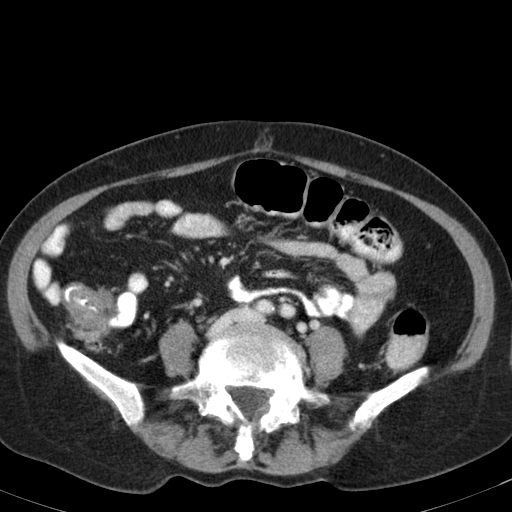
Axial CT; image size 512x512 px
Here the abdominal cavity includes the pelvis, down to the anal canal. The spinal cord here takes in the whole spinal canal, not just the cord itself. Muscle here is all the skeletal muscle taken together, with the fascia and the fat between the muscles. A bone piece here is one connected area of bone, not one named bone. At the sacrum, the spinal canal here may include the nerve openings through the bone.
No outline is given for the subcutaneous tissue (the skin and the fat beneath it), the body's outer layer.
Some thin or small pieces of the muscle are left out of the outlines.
bones 1: 259 324; 283 331; 301 346; 305 384; 326 392; 330 401; 319 406; 301 399; 299 421; 282 423; 269 433; 255 431; 252 457; 241 461; 234 449; 235 424; 202 416; 192 400; 170 394; 174 385; 196 374; 203 348; 222 330, around a hole outlined by 228 387; 253 387; 254 388; 260 389; 261 390; 268 389; 269 390; 271 390; 272 391; 272 393; 268 397; 266 402; 260 406; 257 409; 254 415; 250 418; 245 416; 243 414; 242 411; 234 401; 231 394; 228 391; 228 389; 227 388
bones 2: 56 337; 63 339; 66 343; 73 346; 114 374; 130 381; 133 381; 137 384; 144 402; 145 410; 144 417; 137 425; 136 432; 133 432; 128 427; 123 420; 116 405; 106 394; 91 382; 88 381; 64 359; 54 342; 54 339
bones 3: 423 365; 428 365; 430 367; 429 374; 426 377; 424 377; 421 382; 414 389; 385 407; 372 420; 371 425; 365 431; 358 426; 354 430; 351 430; 349 428; 348 421; 352 417; 355 409; 366 398; 367 395; 370 392; 387 385; 403 374
abdominal cavity: 259 152; 391 192; 449 234; 473 285; 451 359; 371 391; 328 393; 348 353; 331 325; 304 339; 307 357; 275 326; 229 325; 197 361; 199 337; 179 319; 158 349; 181 380; 158 385; 118 375; 48 330; 28 276; 58 222; 108 189
torso: 226 119; 305 121; 366 136; 429 168; 479 215; 511 276; 511 438; 502 446; 443 474; 381 489; 345 491; 324 481; 282 488; 249 479; 208 487; 175 476; 153 493; 135 494; 92 484; 0 443; 0 237; 6 227; 44 186; 98 154
muscle 1: 136 382; 175 384; 171 398; 235 425; 233 449; 241 462; 253 457; 255 432; 300 421; 301 400; 320 407; 330 403; 329 394; 368 391; 347 421; 351 431; 365 432; 339 461; 305 473; 199 471; 156 454; 134 433; 146 410
muscle 2: 264 147; 331 162; 375 178; 438 206; 466 228; 475 238; 487 259; 493 277; 495 295; 494 319; 487 347; 473 368; 424 385; 407 397; 387 407; 414 390; 430 374; 432 366; 441 366; 451 360; 466 336; 474 309; 474 285; 468 264; 450 234; 405 198; 391 191; 341 177; 291 157; 267 151; 233 157; 183 175; 149 178; 137 183; 108 188; 58 221; 35 253; 27 276; 27 296; 33 311; 49 332; 63 338; 56 336; 53 339; 63 359; 88 382; 105 394; 115 405; 119 414; 106 401; 92 392; 77 375; 48 349; 32 353; 24 348; 16 335; 9 314; 6 282; 8 268; 19 242; 41 216; 69 197; 103 184; 246 149
muscle 3: 322 326; 331 326; 337 329; 340 332; 347 349; 347 353; 343 360; 343 370; 325 388; 325 391; 315 390; 312 388; 310 388; 306 384; 303 374; 303 366; 306 357; 307 358; 308 357; 307 347; 304 344; 304 341; 311 333; 319 330
muscle 4: 179 320; 187 321; 192 326; 198 337; 198 340; 195 344; 195 351; 193 353; 193 358; 197 362; 197 371; 192 377; 182 381; 181 381; 182 379; 179 376; 170 377; 167 374; 159 349; 159 341; 162 335; 168 329; 170 325; 175 324
spinal cord: 228 387; 253 387; 254 388; 260 389; 261 390; 268 389; 269 390; 271 390; 272 391; 272 393; 268 397; 266 402; 260 406; 257 409; 254 415; 250 418; 245 416; 243 414; 242 411; 234 401; 231 394; 228 391; 228 389; 227 388